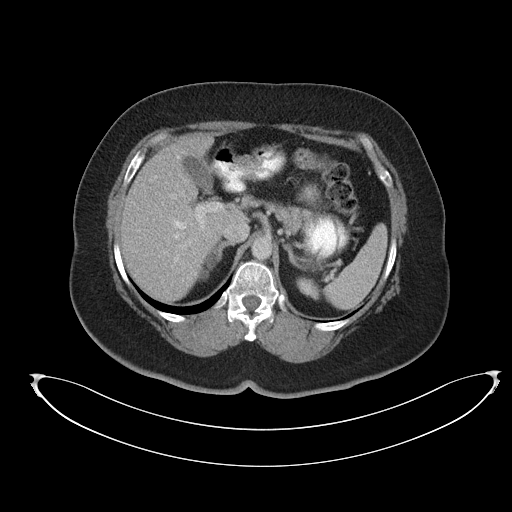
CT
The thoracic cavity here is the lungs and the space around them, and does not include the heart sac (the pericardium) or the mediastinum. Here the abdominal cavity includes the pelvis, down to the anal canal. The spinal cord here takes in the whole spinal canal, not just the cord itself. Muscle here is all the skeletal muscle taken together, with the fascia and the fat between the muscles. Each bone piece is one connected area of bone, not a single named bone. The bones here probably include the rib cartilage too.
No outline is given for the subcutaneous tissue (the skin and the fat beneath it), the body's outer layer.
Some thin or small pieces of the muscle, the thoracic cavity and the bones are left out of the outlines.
Outlined structures:
abdominal cavity: (256, 127) (347, 141) (363, 149) (377, 168) (390, 207) (387, 259) (372, 296) (346, 315) (315, 319) (295, 313) (271, 269) (254, 259) (241, 262) (231, 278) (207, 299) (181, 306) (150, 297) (125, 269) (119, 244) (122, 206) (140, 164) (154, 145) (186, 132) (236, 132)
spinal cord: (250, 295) (253, 295) (254, 296) (256, 296) (260, 299) (260, 302) (257, 306) (257, 307) (256, 307) (253, 310) (253, 311) (252, 311) (251, 312) (250, 312) (247, 310) (246, 307) (244, 305) (244, 304) (242, 301) (242, 300) (244, 297) (245, 297) (246, 296) (249, 296)
bones 1: (249, 260) (261, 262) (270, 269) (277, 289) (285, 297) (287, 309) (283, 311) (275, 303) (272, 308) (273, 321) (264, 319) (258, 323) (254, 329) (256, 337) (251, 342) (244, 338) (248, 328) (242, 321) (228, 320) (226, 304) (217, 308) (212, 307) (230, 284) (239, 265); inner edge: (250, 295) (253, 295) (254, 296) (256, 296) (260, 299) (260, 302) (257, 306) (257, 307) (256, 307) (253, 310) (253, 311) (252, 311) (251, 312) (250, 312) (247, 310) (246, 307) (244, 305) (244, 304) (242, 301) (242, 300) (244, 297) (245, 297) (246, 296) (249, 296)
bones 2: (362, 136) (366, 137) (371, 142) (375, 156) (379, 160) (382, 165) (390, 173) (391, 177) (392, 178) (392, 181) (393, 182) (393, 185) (391, 187) (386, 187) (383, 182) (380, 179) (378, 175) (378, 168) (375, 162) (372, 159) (371, 156) (366, 151) (360, 140) (360, 138)
bones 3: (138, 150) (141, 150) (142, 151) (145, 151) (145, 156) (142, 159) (141, 162) (139, 164) (139, 165) (138, 166) (134, 175) (132, 177) (132, 178) (129, 182) (129, 183) (126, 186) (123, 186) (123, 179) (124, 178) (124, 175) (126, 172) (127, 167) (128, 166) (131, 159)
bones 4: (115, 242) (116, 242) (119, 245) (119, 250) (120, 251) (120, 254) (121, 255) (121, 259) (123, 263) (123, 266) (124, 267) (125, 272) (132, 284) (132, 286) (128, 286) (125, 283) (117, 268) (117, 266) (115, 262) (115, 258) (114, 257) (114, 251) (113, 250) (113, 245)
bones 5: (347, 317) (349, 317) (350, 318) (349, 319) (349, 321) (341, 327) (340, 327) (335, 330) (326, 330) (325, 331) (324, 331) (323, 330) (319, 330) (314, 327) (314, 323) (315, 322) (327, 322) (328, 321) (333, 321) (334, 320) (343, 319) (344, 318) (346, 318)
bones 6: (393, 237) (396, 240) (396, 255) (395, 256) (395, 260) (394, 261) (393, 266) (391, 269) (391, 271) (389, 273) (389, 275) (386, 279) (383, 279) (383, 275) (384, 274) (384, 271) (385, 270) (386, 263) (388, 259) (388, 254) (389, 253) (389, 250) (390, 249) (391, 240)
bones 7: (156, 309) (158, 310) (161, 310) (165, 312) (168, 312) (169, 313) (173, 313) (174, 314) (183, 315) (185, 317) (185, 320) (183, 321) (180, 321) (179, 322) (174, 322) (173, 321) (170, 321) (169, 320) (167, 320) (165, 318) (161, 316) (157, 312) (157, 310)
muscle: (213, 120) (297, 123) (326, 129) (365, 132) (377, 142) (398, 173) (408, 209) (407, 231) (401, 251) (400, 291) (379, 313) (328, 353) (315, 360) (302, 363) (288, 362) (252, 342) (257, 337) (255, 329) (258, 324) (264, 320) (270, 323) (274, 321) (275, 304) (283, 312) (288, 309) (300, 318) (313, 321) (313, 327) (319, 331) (335, 331) (347, 324) (350, 317) (367, 304) (382, 279) (386, 280) (390, 275) (396, 260) (397, 240) (392, 237) (391, 207) (387, 188) (391, 188) (394, 182) (391, 173) (376, 156) (372, 142) (364, 135) (359, 138) (362, 148) (335, 137) (293, 133) (266, 126) (236, 131) (186, 131) (163, 138) (146, 154) (145, 150) (138, 149) (130, 159) (123, 175) (122, 186) (126, 187) (131, 183) (121, 206) (118, 243) (115, 241) (112, 245) (114, 262) (122, 280) (128, 287) (133, 286) (161, 317) (174, 323) (185, 321) (184, 315) (226, 305) (227, 320) (229, 322) (239, 320) (243, 323) (247, 328) (243, 338) (247, 341) (212, 356) (200, 357) (188, 354) (177, 349) (162, 337) (136, 313) (115, 288) (109, 265) (105, 220) (108, 195) (127, 155) (142, 137) (155, 129), around a hole outlined by (161, 133) (162, 133) (164, 135) (163, 136) (163, 137) (162, 138) (161, 138) (160, 139) (159, 139) (158, 140) (157, 140) (156, 141) (155, 141) (154, 142) (150, 142) (150, 140) (153, 137) (154, 137) (156, 135) (157, 135) (158, 134) (160, 134)
torso: (225, 80) (351, 87) (384, 100) (411, 126) (443, 201) (450, 267) (447, 317) (421, 356) (381, 377) (335, 391) (278, 398) (247, 387) (235, 394) (214, 394) (138, 373) (110, 357) (86, 332) (71, 303) (68, 274) (74, 200) (92, 153) (117, 117) (143, 97) (179, 85)
thoracic cavity 1: (128, 275) (136, 286) (150, 298) (158, 302) (161, 302) (163, 304) (181, 307) (182, 306) (192, 306) (207, 300) (217, 292) (230, 278) (231, 279) (229, 284) (222, 291) (219, 297) (210, 307) (195, 313) (179, 314) (158, 309) (146, 301) (137, 291)
thoracic cavity 2: (370, 298) (370, 299) (366, 303) (366, 304) (362, 308) (361, 308) (354, 314) (350, 316) (347, 316) (346, 317) (344, 317) (343, 318) (339, 318) (338, 319) (335, 319) (337, 319) (338, 318) (340, 318) (341, 317) (346, 316) (348, 314) (353, 312) (355, 310) (358, 309)